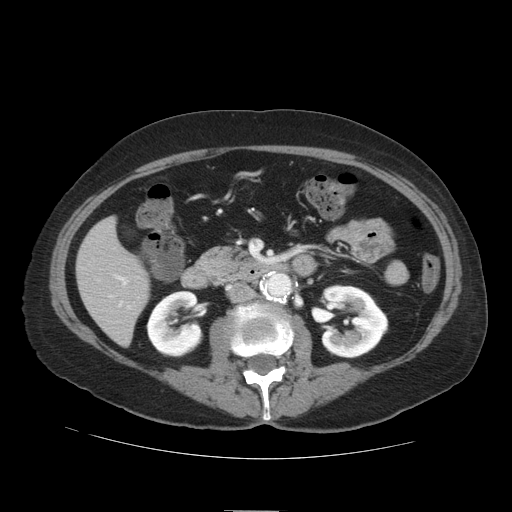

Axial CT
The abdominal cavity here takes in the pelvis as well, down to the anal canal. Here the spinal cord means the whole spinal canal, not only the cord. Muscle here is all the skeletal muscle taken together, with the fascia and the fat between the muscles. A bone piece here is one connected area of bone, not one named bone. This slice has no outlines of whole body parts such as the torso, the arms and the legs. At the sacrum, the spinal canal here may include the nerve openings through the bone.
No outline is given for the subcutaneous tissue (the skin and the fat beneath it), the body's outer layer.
{"spinal_cord":[[[258,354],[267,354],[268,355],[271,355],[272,356],[275,357],[277,359],[277,361],[278,362],[278,366],[271,369],[267,373],[266,373],[263,375],[256,372],[251,368],[249,368],[248,367],[248,359],[250,357],[255,356]]],"abdominal_cavity":[[[232,150],[354,166],[393,187],[423,213],[441,247],[445,280],[441,299],[415,343],[371,365],[336,361],[317,366],[312,334],[302,316],[253,301],[213,320],[207,366],[158,368],[114,349],[82,321],[70,300],[66,269],[72,241],[86,219],[132,180]]],"muscle":[[[261,144],[344,151],[410,180],[447,217],[457,240],[462,288],[451,317],[413,359],[298,417],[270,420],[269,387],[273,382],[281,382],[288,371],[282,357],[294,341],[294,315],[301,316],[311,334],[311,362],[317,367],[336,362],[371,366],[399,356],[416,343],[442,299],[446,280],[442,247],[430,221],[400,191],[360,167],[293,153],[232,149],[127,182],[96,207],[73,236],[65,275],[74,312],[111,348],[159,369],[183,365],[207,367],[212,358],[210,328],[214,320],[229,310],[229,348],[247,359],[247,366],[241,371],[245,383],[260,388],[263,420],[253,421],[199,403],[114,361],[80,339],[55,313],[48,284],[52,251],[62,226],[86,198],[108,183],[174,153]]],"bones":[[[253,302],[283,310],[292,316],[293,341],[281,357],[287,371],[281,381],[273,381],[268,387],[269,420],[262,418],[261,388],[256,383],[246,383],[242,371],[247,367],[263,376],[279,366],[278,359],[267,353],[246,359],[235,354],[229,342],[230,310]]]}